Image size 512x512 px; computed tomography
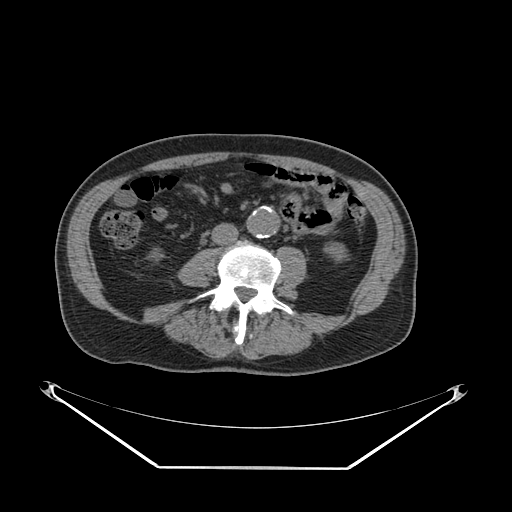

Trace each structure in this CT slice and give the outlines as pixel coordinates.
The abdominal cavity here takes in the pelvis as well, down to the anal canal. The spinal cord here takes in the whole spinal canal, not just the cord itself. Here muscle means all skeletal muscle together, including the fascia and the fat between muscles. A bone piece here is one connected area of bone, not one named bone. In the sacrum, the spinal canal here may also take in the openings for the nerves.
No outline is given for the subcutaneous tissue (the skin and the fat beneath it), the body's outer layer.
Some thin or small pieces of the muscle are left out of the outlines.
{"abdominal_cavity":[[[230,157],[336,176],[352,189],[371,215],[376,237],[345,307],[297,308],[297,287],[308,277],[304,253],[282,245],[275,255],[247,239],[221,253],[204,248],[181,266],[177,279],[202,289],[194,295],[135,313],[108,299],[90,245],[102,204],[140,173]]],"torso":[[[208,132],[272,133],[320,141],[360,157],[388,180],[409,213],[418,249],[415,316],[408,336],[399,345],[352,365],[278,376],[171,372],[133,363],[113,364],[86,354],[73,342],[62,321],[54,268],[58,224],[68,200],[95,168],[126,149],[168,136]]],"bones":[{"outer":[[238,240],[260,245],[278,258],[281,270],[273,293],[295,312],[291,315],[278,308],[264,314],[250,311],[240,345],[235,343],[236,334],[232,331],[238,321],[235,307],[221,311],[210,309],[211,295],[189,302],[189,299],[219,283],[219,258],[228,246]],"hole":[[237,287],[245,287],[246,288],[249,288],[250,289],[254,289],[256,291],[256,294],[254,296],[253,296],[252,297],[251,297],[247,301],[245,301],[244,302],[243,301],[242,301],[239,298],[239,297],[237,295],[237,294],[235,292],[235,288],[236,288]]}],"muscle":[{"outer":[[212,151],[243,151],[305,158],[329,166],[355,179],[368,181],[380,188],[393,203],[403,225],[405,238],[403,263],[392,279],[388,292],[381,304],[372,311],[358,315],[348,324],[328,333],[319,342],[296,356],[277,362],[258,363],[239,354],[227,360],[202,359],[179,347],[159,328],[150,324],[137,324],[118,319],[110,312],[90,303],[73,282],[66,251],[70,218],[83,195],[104,180],[122,175],[148,163],[178,155]],"hole":[[230,157],[336,176],[352,189],[371,215],[376,237],[345,307],[296,307],[307,259],[291,245],[275,252],[281,270],[273,293],[295,314],[250,311],[240,345],[232,331],[238,311],[210,309],[211,295],[135,313],[108,299],[90,245],[102,204],[140,173]]},[[204,249],[217,249],[220,253],[220,255],[216,264],[216,274],[219,280],[218,283],[215,286],[196,294],[197,292],[202,291],[203,290],[202,288],[184,285],[178,279],[176,275],[177,272],[182,266],[188,261],[188,260],[189,260],[196,253]]],"spinal_cord":[[[237,287],[245,287],[246,288],[249,288],[250,289],[254,289],[256,291],[256,294],[254,296],[253,296],[252,297],[251,297],[247,301],[245,301],[244,302],[243,301],[242,301],[239,298],[239,297],[237,295],[237,294],[235,292],[235,288],[236,288]]]}